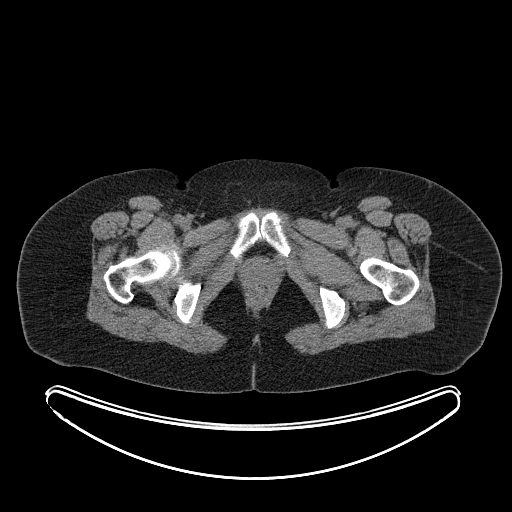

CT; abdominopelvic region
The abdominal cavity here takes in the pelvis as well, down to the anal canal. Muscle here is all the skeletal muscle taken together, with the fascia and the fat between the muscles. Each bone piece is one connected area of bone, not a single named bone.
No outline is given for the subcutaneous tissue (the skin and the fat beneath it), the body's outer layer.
Outlined structures:
abdominal cavity: (258, 241) (265, 241) (277, 253) (275, 256) (277, 258) (278, 263) (279, 264) (279, 275) (278, 276) (278, 279) (273, 288) (271, 290) (266, 301) (262, 303) (258, 303) (246, 290) (244, 285) (240, 281) (238, 276) (239, 274) (239, 266) (242, 262) (241, 259) (244, 253)
muscle: (138, 192) (159, 196) (167, 211) (197, 227) (254, 207) (328, 221) (354, 207) (360, 198) (387, 194) (419, 212) (430, 225) (429, 278) (436, 306) (435, 327) (401, 338) (345, 344) (314, 355) (299, 353) (284, 334) (314, 321) (317, 315) (298, 285) (285, 274) (259, 319) (248, 315) (244, 297) (233, 280) (219, 292) (203, 316) (205, 322) (229, 336) (214, 353) (196, 354) (165, 342) (133, 341) (111, 334) (85, 316) (91, 283) (89, 224) (100, 212) with holes at (270, 211) (276, 212) (281, 218) (283, 231) (291, 250) (287, 257) (279, 253) (275, 255) (279, 264) (278, 279) (266, 301) (258, 303) (239, 279) (239, 266) (242, 261) (230, 254) (229, 250) (236, 237) (238, 231) (237, 224) (241, 217) (249, 212) (254, 212) (261, 218) and at (166, 246) (174, 246) (179, 252) (181, 267) (178, 274) (171, 278) (166, 276) (154, 281) (143, 283) (134, 282) (131, 286) (134, 296) (128, 303) (121, 303) (110, 295) (103, 280) (103, 275) (110, 265) (116, 264) (129, 256) (140, 256) (152, 249) (160, 248) (163, 250) and at (368, 257) (376, 257) (391, 262) (402, 268) (409, 268) (411, 269) (417, 275) (419, 280) (419, 287) (414, 295) (408, 301) (400, 305) (394, 305) (388, 302) (384, 297) (381, 289) (376, 285) (368, 281) (362, 275) (359, 270) (359, 265) (360, 263) (365, 258) and at (183, 279) (188, 280) (193, 283) (200, 282) (201, 284) (196, 307) (194, 313) (191, 318) (191, 321) (190, 323) (188, 324) (183, 323) (178, 317) (176, 312) (176, 306) (173, 300) (174, 299) (175, 293) (177, 290) (177, 285) (178, 283) and at (320, 286) (323, 286) (324, 287) (335, 290) (339, 294) (339, 295) (343, 298) (345, 302) (344, 315) (339, 322) (339, 324) (336, 327) (334, 327) (333, 328) (328, 328) (326, 327) (325, 325) (325, 318) (324, 317) (324, 313) (322, 308) (321, 299) (319, 294) (319, 287)
bones 1: (166, 246) (174, 246) (179, 252) (181, 267) (178, 274) (171, 278) (166, 276) (154, 281) (143, 283) (134, 282) (131, 286) (134, 296) (128, 303) (121, 303) (110, 295) (103, 280) (103, 275) (110, 265) (116, 264) (129, 256) (140, 256) (152, 249) (160, 248) (163, 250)
bones 2: (368, 257) (376, 257) (391, 262) (402, 268) (409, 268) (411, 269) (417, 275) (419, 280) (419, 287) (414, 295) (408, 301) (400, 305) (394, 305) (388, 302) (384, 297) (381, 289) (376, 285) (368, 281) (362, 275) (359, 270) (359, 265) (360, 263) (365, 258)
bones 3: (270, 211) (276, 212) (281, 218) (281, 224) (283, 231) (291, 248) (287, 257) (282, 256) (278, 253) (265, 240) (258, 240) (243, 253) (240, 259) (236, 259) (229, 253) (229, 250) (238, 231) (237, 224) (239, 219) (249, 212) (254, 212) (259, 218) (261, 218) (267, 212)
bones 4: (183, 279) (188, 280) (193, 283) (200, 282) (201, 284) (196, 307) (194, 313) (191, 318) (191, 321) (190, 323) (188, 324) (183, 323) (178, 317) (176, 312) (176, 306) (173, 300) (174, 299) (175, 293) (177, 290) (177, 285) (178, 283)
bones 5: (320, 286) (323, 286) (324, 287) (335, 290) (339, 294) (339, 295) (343, 298) (345, 302) (344, 315) (339, 322) (339, 324) (336, 327) (334, 327) (333, 328) (328, 328) (326, 327) (325, 325) (325, 318) (324, 317) (324, 313) (322, 308) (321, 299) (319, 294) (319, 287)
torso: (241, 158) (300, 163) (330, 178) (352, 166) (397, 169) (433, 180) (460, 197) (492, 234) (502, 264) (497, 306) (481, 347) (451, 373) (405, 371) (297, 393) (166, 389) (60, 365) (32, 351) (22, 331) (16, 273) (24, 239) (46, 209) (103, 175) (156, 167) (184, 179)